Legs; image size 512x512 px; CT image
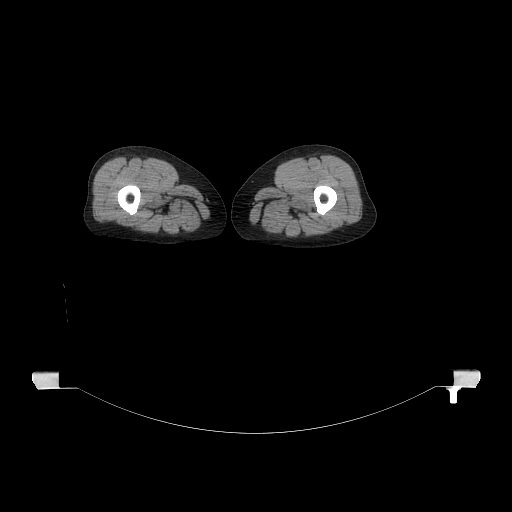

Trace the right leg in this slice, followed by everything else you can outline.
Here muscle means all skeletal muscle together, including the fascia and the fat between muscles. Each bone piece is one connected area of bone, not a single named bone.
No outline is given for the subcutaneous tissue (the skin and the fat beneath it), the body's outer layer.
right leg: [[128,145],[145,145],[163,149],[174,154],[199,170],[216,188],[225,204],[226,223],[223,231],[214,238],[199,241],[188,241],[178,244],[134,242],[127,239],[93,234],[87,228],[83,220],[83,208],[87,194],[88,175],[93,164],[101,155],[111,149]]
muscle 1: [[321,154],[335,155],[348,163],[352,168],[362,200],[361,219],[351,225],[327,234],[310,237],[285,237],[283,235],[275,235],[252,225],[249,221],[249,212],[253,205],[254,195],[259,189],[273,184],[276,167],[282,162],[295,157],[308,158]] with a hole at [[320,184],[325,184],[326,185],[328,185],[332,187],[335,190],[337,194],[337,199],[336,200],[336,202],[335,204],[323,215],[321,215],[317,212],[317,210],[315,206],[315,203],[313,199],[313,190],[314,188],[317,185],[319,185]]
muscle 2: [[118,156],[128,158],[138,156],[143,159],[155,157],[167,161],[176,169],[180,183],[192,185],[200,191],[204,198],[203,201],[210,211],[210,217],[198,229],[177,234],[162,231],[148,233],[113,222],[96,221],[92,214],[92,186],[95,174],[106,161]], around a hole outlined by [[127,184],[134,184],[138,186],[140,190],[140,193],[141,194],[140,196],[140,201],[138,205],[138,208],[136,212],[132,215],[131,214],[129,214],[125,210],[124,210],[119,205],[118,203],[118,201],[117,200],[117,191],[121,187]]
bones 1: [[127,184],[134,184],[138,186],[140,190],[140,193],[141,194],[140,196],[140,201],[138,205],[138,208],[136,212],[132,215],[131,214],[129,214],[125,210],[124,210],[119,205],[118,203],[118,201],[117,200],[117,191],[121,187]]
bones 2: [[320,184],[325,184],[326,185],[328,185],[332,187],[335,190],[337,194],[337,199],[336,200],[336,202],[335,204],[323,215],[321,215],[317,212],[317,210],[315,206],[315,203],[313,199],[313,190],[314,188],[317,185],[319,185]]
left leg: [[315,143],[338,147],[350,154],[357,162],[361,170],[367,191],[375,205],[377,212],[376,222],[373,228],[363,237],[349,243],[322,248],[281,247],[253,241],[246,241],[242,239],[236,232],[230,215],[233,197],[240,186],[260,165],[279,152],[293,146]]